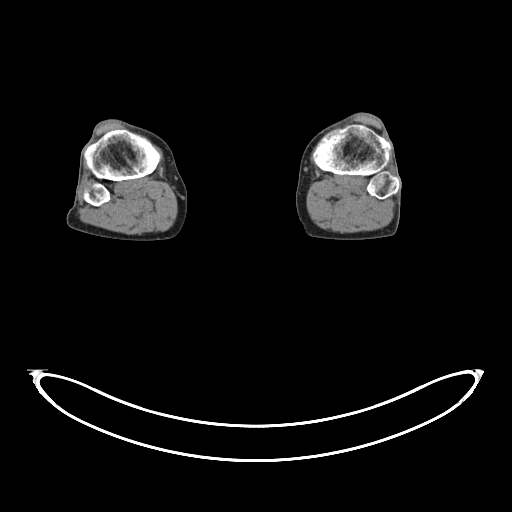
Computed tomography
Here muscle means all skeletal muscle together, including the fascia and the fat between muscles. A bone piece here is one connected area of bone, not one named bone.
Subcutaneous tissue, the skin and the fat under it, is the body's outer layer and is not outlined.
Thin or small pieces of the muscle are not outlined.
{"left_leg":[[[356,111],[371,112],[381,118],[393,143],[398,171],[401,178],[401,207],[400,219],[397,231],[392,236],[362,240],[336,240],[309,236],[305,233],[303,229],[302,224],[298,218],[295,207],[295,191],[298,180],[299,164],[303,150],[310,139],[322,128]]],"right_leg":[[[112,117],[120,118],[154,132],[169,145],[173,152],[177,168],[187,190],[187,214],[183,227],[179,233],[170,239],[153,241],[131,241],[112,239],[80,232],[71,229],[66,224],[66,214],[73,204],[74,200],[80,151],[89,139],[94,125],[104,118]]],"bones":[[[348,124],[362,124],[367,126],[391,143],[392,149],[389,161],[384,169],[392,175],[397,176],[400,180],[400,187],[395,194],[384,199],[379,199],[367,191],[366,187],[370,179],[369,176],[339,175],[321,170],[314,164],[311,154],[320,138],[327,132]],[[123,128],[126,128],[131,131],[147,137],[153,145],[161,153],[161,158],[156,168],[151,173],[142,177],[134,178],[133,179],[120,180],[119,181],[99,179],[97,178],[88,168],[83,156],[83,152],[88,145],[95,142],[106,132],[113,129],[122,129]],[[95,182],[100,182],[102,183],[108,189],[110,193],[110,198],[109,200],[98,206],[95,206],[94,205],[92,205],[86,202],[83,199],[83,197],[82,196],[83,191],[85,189],[90,189],[91,188],[91,186],[92,184]]],"muscle":[{"outer":[[150,139],[162,149],[170,172],[170,184],[173,186],[178,203],[178,214],[173,226],[164,232],[139,235],[114,232],[82,222],[77,212],[79,207],[78,191],[83,175],[84,160],[87,168],[99,180],[119,182],[139,179],[151,174],[162,158],[162,153]],"hole":[[95,182],[100,182],[102,183],[108,189],[110,193],[110,198],[109,200],[98,206],[95,206],[94,205],[92,205],[86,202],[83,199],[83,197],[82,196],[83,191],[85,189],[90,189],[91,188],[91,186],[92,184]]},[[310,154],[313,164],[321,171],[339,176],[347,175],[369,177],[365,188],[368,194],[372,197],[379,200],[384,200],[395,195],[393,197],[393,217],[390,223],[381,229],[353,233],[332,232],[317,227],[311,221],[305,206],[307,193],[307,178],[305,168]],[[358,116],[366,116],[367,117],[370,117],[376,120],[379,123],[380,125],[380,130],[379,132],[381,133],[384,136],[381,135],[367,125],[365,125],[362,123],[348,123],[341,127],[336,127],[338,126],[341,126],[346,123],[348,123],[352,119]],[[110,122],[115,122],[116,123],[120,123],[124,126],[125,126],[125,127],[123,127],[122,128],[113,128],[112,129],[110,129],[106,131],[95,141],[94,141],[97,137],[96,136],[96,132],[97,131],[97,129],[101,125],[105,123],[109,123]],[[391,153],[391,156],[392,157],[392,163],[393,164],[393,167],[394,168],[394,171],[395,172],[395,174],[396,175],[395,175],[394,174],[392,174],[388,170],[387,170],[386,169],[385,169],[385,168],[388,165],[388,164],[390,161],[390,158],[391,157]]]}